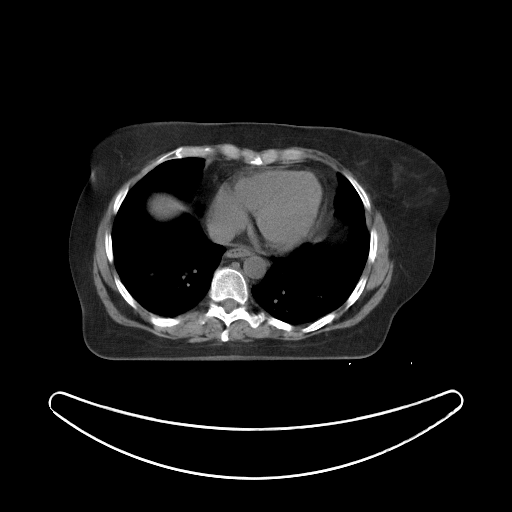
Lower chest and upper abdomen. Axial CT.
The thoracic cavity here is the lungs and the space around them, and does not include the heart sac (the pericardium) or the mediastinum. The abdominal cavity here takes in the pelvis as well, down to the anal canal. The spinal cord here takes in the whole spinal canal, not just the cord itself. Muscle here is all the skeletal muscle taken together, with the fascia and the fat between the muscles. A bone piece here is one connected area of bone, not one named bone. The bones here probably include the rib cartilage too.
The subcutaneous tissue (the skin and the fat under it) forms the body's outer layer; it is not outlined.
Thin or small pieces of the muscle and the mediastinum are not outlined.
The abdominal cavity appears in 2 outlined pieces: piece 1: 156 192; 166 192; 167 193; 169 193; 175 196; 180 200; 182 200; 184 202; 189 204; 192 208; 192 212; 184 212; 176 218; 172 219; 169 221; 158 221; 154 219; 150 215; 146 208; 146 202; 149 196; 151 194; 155 193; piece 2: 335 216; 335 217; 337 218; 338 220; 344 224; 347 224; 349 226; 349 229; 351 232; 350 233; 350 236; 349 237; 348 243; 343 248; 330 248; 323 242; 322 243; 316 243; 316 242; 318 243; 327 234; 329 233. The torso is outlined by 158 120; 256 121; 343 127; 410 143; 443 169; 451 199; 437 230; 432 271; 419 291; 398 310; 383 345; 375 353; 360 359; 109 360; 87 348; 81 331; 80 304; 68 263; 68 238; 77 200; 90 173; 88 153; 102 136; 118 127. The mediastinum appears in 2 outlined pieces: piece 1: 214 156; 242 160; 256 166; 278 161; 306 159; 329 166; 336 172; 337 188; 333 200; 334 217; 328 233; 318 242; 311 240; 328 211; 326 179; 314 167; 282 164; 256 167; 238 167; 216 181; 207 196; 202 220; 207 237; 200 222; 204 207; 195 197; 205 158; piece 2: 222 245; 252 251; 263 256; 271 255; 270 260; 272 263; 270 267; 267 270; 262 279; 258 283; 253 285; 250 288; 250 290; 249 291; 246 279; 243 274; 239 270; 229 266; 218 267; 220 263; 222 255; 225 251; 225 247. The muscle appears in 4 outlined pieces: piece 1: 117 191; 112 205; 115 216; 111 232; 107 229; 104 232; 103 242; 107 260; 114 264; 117 274; 113 275; 113 281; 122 298; 133 309; 136 310; 139 304; 148 311; 149 322; 160 328; 178 325; 182 321; 179 315; 207 298; 207 307; 197 322; 204 325; 210 318; 219 319; 224 324; 220 343; 214 339; 188 342; 184 338; 158 336; 141 328; 120 324; 107 313; 93 281; 93 254; 98 225; piece 2: 360 183; 380 212; 389 235; 388 254; 393 262; 393 270; 389 286; 380 302; 352 326; 307 338; 228 341; 230 325; 237 320; 247 322; 253 329; 264 322; 286 332; 291 332; 294 325; 306 325; 300 332; 309 333; 329 324; 337 316; 335 310; 343 303; 346 310; 360 297; 368 279; 362 273; 366 263; 374 262; 379 239; 377 230; 373 226; 369 229; 368 227; 366 211; 371 210; 371 202; piece 3: 293 146; 316 149; 328 154; 330 156; 335 158; 344 167; 347 168; 357 178; 359 182; 350 173; 344 170; 341 173; 336 171; 326 163; 324 163; 322 161; 317 159; 312 159; 311 158; 303 159; 305 157; 305 153; 299 148; 289 147; piece 4: 163 153; 165 153; 161 155; 151 164; 151 165; 149 167; 149 168; 151 169; 150 169; 144 175; 143 175; 130 188; 130 186; 129 184; 128 183; 126 183; 118 190; 118 189; 124 183; 124 182; 125 182; 131 176; 135 174; 148 161. The thoracic cavity appears in 2 outlined pieces: piece 1: 185 157; 204 158; 202 175; 195 186; 194 197; 203 207; 199 222; 206 237; 213 243; 223 246; 224 251; 212 274; 206 297; 197 306; 177 316; 161 316; 143 307; 120 279; 114 263; 112 229; 115 217; 129 190; 143 176; 166 161, around a hole outlined by 156 192; 166 192; 167 193; 169 193; 175 196; 180 200; 182 200; 184 202; 189 204; 192 208; 192 212; 184 212; 176 218; 172 219; 169 221; 158 221; 154 219; 150 215; 146 208; 146 202; 149 196; 151 194; 155 193; piece 2: 337 172; 357 193; 369 230; 366 262; 356 284; 337 308; 308 324; 292 324; 262 309; 255 310; 254 307; 258 306; 250 298; 250 291; 271 267; 272 256; 285 256; 303 244; 323 243; 330 249; 343 249; 349 243; 350 226; 335 215. The bones appear in 10 outlined pieces: piece 1: 223 267; 242 274; 255 311; 262 310; 293 325; 293 329; 286 331; 264 321; 253 328; 247 321; 237 319; 229 325; 228 340; 222 341; 220 336; 225 324; 219 318; 213 316; 200 324; 199 316; 208 307; 207 295; 213 274; 217 268; inner edge: 225 299; 232 299; 233 300; 234 300; 237 303; 237 306; 236 307; 235 307; 233 309; 232 309; 229 312; 227 312; 224 309; 224 308; 220 304; 220 303; 223 300; 224 300; piece 2: 224 143; 249 150; 253 154; 259 154; 271 148; 277 150; 299 149; 304 153; 304 157; 297 161; 284 162; 278 160; 256 165; 247 163; 242 158; 227 158; 217 152; 206 157; 174 158; 150 168; 161 156; 180 146; 210 146; 217 149; piece 3: 344 171; 350 174; 360 184; 360 185; 363 188; 370 202; 370 210; 366 210; 365 209; 364 207; 364 205; 358 193; 356 191; 354 187; 351 184; 351 183; 345 177; 345 176; 343 174; 343 172; piece 4: 332 311; 335 311; 336 312; 336 316; 329 323; 327 323; 325 325; 315 330; 313 330; 309 332; 305 332; 304 333; 303 332; 301 332; 301 329; 303 327; 319 319; 321 317; 326 315; 328 313; piece 5: 361 275; 365 275; 367 277; 367 279; 366 280; 366 283; 364 286; 364 288; 363 289; 362 292; 360 294; 359 297; 348 308; 345 309; 345 301; 354 289; 354 288; 357 284; 357 283; 358 282; piece 6: 151 313; 152 313; 155 315; 160 316; 161 317; 169 317; 170 318; 173 318; 174 317; 179 317; 181 319; 181 321; 178 324; 176 324; 175 325; 173 325; 172 326; 165 326; 164 327; 155 326; 153 324; 152 324; 149 320; 149 316; piece 7: 115 274; 116 274; 118 276; 119 279; 121 281; 121 282; 123 284; 125 288; 129 292; 129 293; 133 297; 133 298; 138 303; 138 306; 136 309; 133 308; 123 298; 123 297; 119 292; 115 284; 115 282; 114 281; 114 275; piece 8: 372 227; 373 227; 376 230; 377 232; 377 236; 378 237; 378 239; 377 240; 377 249; 376 250; 376 255; 375 256; 375 258; 373 262; 372 263; 367 263; 367 258; 368 257; 368 254; 369 253; 369 242; 370 241; 370 229; piece 9: 126 184; 128 184; 128 185; 129 186; 129 189; 128 190; 125 197; 123 199; 123 200; 122 201; 122 202; 121 203; 121 204; 120 205; 116 214; 114 214; 113 213; 113 205; 114 204; 114 200; 115 199; 116 194; 118 192; 118 191; piece 10: 107 230; 108 231; 109 231; 111 233; 111 243; 112 244; 112 253; 113 254; 113 262; 112 263; 109 262; 109 261; 108 260; 108 258; 107 257; 107 255; 106 254; 106 251; 105 250; 105 243; 104 242; 104 234; 105 233; 105 232. The pericardium is outlined by 282 165; 308 166; 318 170; 325 179; 328 193; 327 211; 323 214; 310 239; 315 242; 303 243; 285 255; 263 255; 252 250; 225 245; 208 237; 203 220; 206 213; 208 196; 216 182; 221 180; 229 172; 238 168; 256 168; 262 166. The spinal cord is outlined by 225 299; 232 299; 233 300; 234 300; 237 303; 237 306; 236 307; 235 307; 233 309; 232 309; 229 312; 227 312; 224 309; 224 308; 220 304; 220 303; 223 300; 224 300.